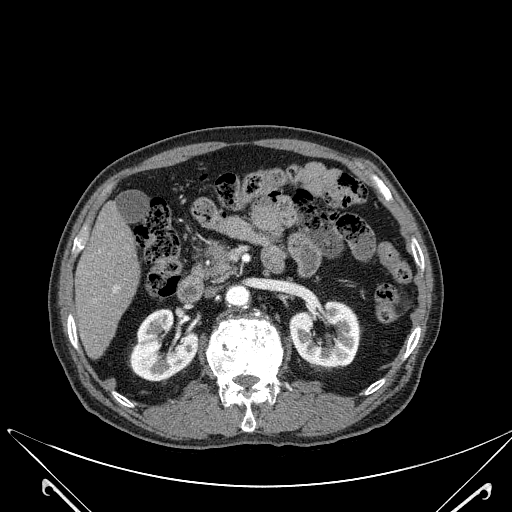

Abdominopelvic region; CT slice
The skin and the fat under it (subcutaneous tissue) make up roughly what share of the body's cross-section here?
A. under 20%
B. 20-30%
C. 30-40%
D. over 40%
A. under 20%
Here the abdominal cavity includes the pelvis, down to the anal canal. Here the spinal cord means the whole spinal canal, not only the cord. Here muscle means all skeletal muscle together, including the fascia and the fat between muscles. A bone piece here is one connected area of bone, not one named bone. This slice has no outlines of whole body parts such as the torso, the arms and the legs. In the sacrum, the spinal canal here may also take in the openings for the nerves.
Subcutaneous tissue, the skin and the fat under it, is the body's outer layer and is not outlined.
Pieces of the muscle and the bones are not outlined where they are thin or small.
The abdominal cavity is outlined by (244, 145) (337, 161) (375, 189) (416, 265) (411, 330) (386, 373) (346, 395) (297, 377) (289, 366) (290, 339) (282, 342) (270, 320) (229, 315) (208, 337) (200, 336) (199, 378) (181, 394) (153, 404) (132, 400) (98, 376) (80, 346) (76, 258) (100, 206) (124, 179). The muscle is outlined by (269, 138) (309, 141) (364, 157) (394, 186) (415, 218) (432, 268) (432, 302) (422, 345) (405, 384) (354, 423) (316, 436) (300, 436) (293, 431) (270, 435) (253, 432) (257, 424) (252, 405) (267, 402) (272, 406) (282, 387) (293, 389) (277, 376) (285, 338) (291, 344) (288, 366) (297, 378) (320, 382) (326, 390) (346, 396) (367, 396) (378, 390) (406, 340) (400, 359) (407, 359) (422, 330) (419, 324) (412, 328) (412, 314) (418, 305) (417, 267) (422, 273) (426, 266) (421, 246) (413, 235) (406, 241) (398, 221) (378, 195) (376, 189) (386, 202) (394, 199) (384, 181) (366, 169) (374, 187) (334, 159) (244, 144) (138, 171) (116, 186) (91, 224) (87, 219) (73, 238) (73, 314) (66, 316) (66, 331) (72, 347) (77, 351) (80, 347) (113, 398) (128, 408) (135, 406) (133, 401) (153, 405) (181, 395) (200, 378) (200, 339) (203, 334) (208, 338) (204, 355) (216, 378) (219, 400) (225, 408) (232, 404) (244, 406) (239, 426) (243, 432) (229, 437) (211, 434) (202, 439) (162, 436) (103, 404) (79, 378) (57, 305) (61, 260) (71, 230) (94, 191) (122, 169) (188, 144). The spinal cord is outlined by (239, 375) (243, 375) (244, 376) (245, 376) (246, 375) (251, 375) (252, 376) (255, 376) (258, 378) (258, 380) (255, 383) (252, 384) (248, 388) (247, 388) (246, 387) (245, 387) (243, 385) (241, 385) (240, 384) (235, 382) (233, 380) (233, 379) (236, 376) (238, 376). The bones appear in 8 outlined pieces: piece 1: (229, 316) (259, 318) (275, 326) (284, 350) (276, 376) (282, 382) (288, 382) (292, 388) (288, 390) (282, 386) (272, 405) (267, 401) (251, 405) (256, 424) (252, 432) (244, 432) (240, 427) (245, 413) (244, 405) (232, 403) (223, 406) (217, 378) (205, 355) (212, 331), around a hole outlined by (239, 375) (243, 375) (244, 376) (245, 376) (246, 375) (251, 375) (252, 376) (255, 376) (258, 378) (258, 380) (255, 383) (252, 384) (248, 388) (247, 388) (246, 387) (245, 387) (243, 385) (241, 385) (240, 384) (235, 382) (233, 380) (233, 379) (236, 376) (238, 376); piece 2: (87, 220) (89, 220) (90, 222) (90, 225) (89, 226) (89, 230) (88, 231) (88, 234) (87, 235) (87, 237) (85, 241) (85, 244) (83, 248) (77, 254) (77, 255) (75, 256) (71, 252) (71, 249) (72, 248) (73, 241) (74, 240) (74, 238) (79, 233) (83, 224); piece 3: (366, 170) (369, 172) (372, 172) (373, 173) (375, 173) (383, 181) (383, 182) (388, 187) (388, 188) (390, 190) (392, 194) (392, 196) (393, 197) (393, 199) (392, 200) (390, 201) (386, 201) (384, 199) (382, 195) (375, 187) (374, 184) (369, 177) (369, 175) (367, 173); piece 4: (411, 236) (415, 237) (420, 246) (420, 248) (423, 254) (423, 257) (424, 258) (424, 264) (425, 266) (424, 267) (424, 270) (422, 272) (420, 271) (419, 268) (417, 266) (414, 260) (414, 258) (413, 257) (413, 255) (411, 251) (411, 246) (408, 241) (408, 240) (411, 237); piece 5: (417, 325) (419, 325) (421, 328) (417, 344) (414, 348) (414, 349) (411, 352) (411, 353) (406, 358) (406, 359) (402, 361) (401, 359) (402, 358) (402, 356) (406, 348) (406, 345) (407, 344) (407, 340) (408, 339) (408, 337) (412, 329); piece 6: (69, 313) (72, 313) (73, 317) (74, 318) (74, 321) (75, 322) (75, 326) (76, 327) (76, 332) (77, 333) (77, 338) (78, 339) (78, 343) (79, 344) (79, 349) (78, 350) (75, 349) (73, 347) (69, 340) (69, 337) (68, 336) (68, 332) (67, 331) (67, 316); piece 7: (382, 377) (384, 377) (385, 378) (385, 381) (384, 382) (384, 383) (378, 389) (377, 389) (374, 392) (373, 392) (370, 394) (368, 394) (367, 395) (362, 395) (361, 394) (360, 394) (360, 393) (362, 391) (363, 391) (370, 384) (371, 384) (376, 380) (377, 380); piece 8: (112, 390) (115, 390) (120, 394) (123, 395) (125, 397) (126, 397) (128, 399) (129, 399) (131, 401) (132, 401) (134, 403) (134, 406) (133, 407) (128, 407) (127, 406) (125, 406) (124, 405) (121, 404) (119, 402) (118, 402) (112, 395) (112, 394) (111, 393) (111, 391).